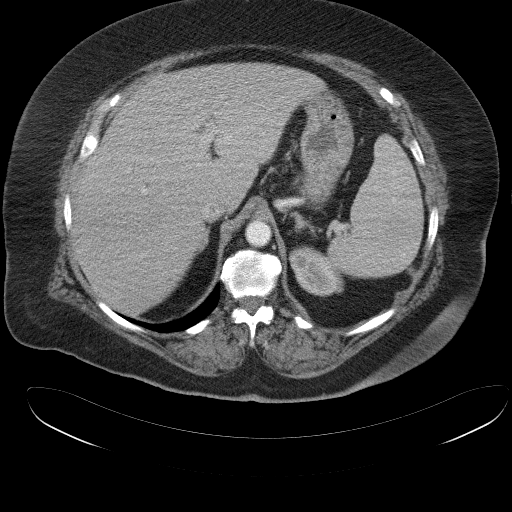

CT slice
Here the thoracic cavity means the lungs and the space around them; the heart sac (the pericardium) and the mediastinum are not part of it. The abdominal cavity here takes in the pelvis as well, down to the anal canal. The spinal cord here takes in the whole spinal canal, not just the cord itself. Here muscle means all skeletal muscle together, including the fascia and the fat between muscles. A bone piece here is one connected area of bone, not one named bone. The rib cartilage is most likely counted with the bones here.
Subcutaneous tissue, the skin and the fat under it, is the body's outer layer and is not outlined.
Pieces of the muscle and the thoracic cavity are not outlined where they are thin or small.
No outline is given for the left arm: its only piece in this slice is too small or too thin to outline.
The torso is outlined by 174 0; 333 0; 351 5; 412 33; 445 58; 471 88; 496 140; 498 197; 477 299; 453 339; 431 359; 389 381; 344 396; 262 403; 164 390; 57 350; 25 346; 12 337; 3 311; 2 201; 20 114; 44 75; 79 41; 122 17. The bones appear in 10 outlined pieces: piece 1: 247 248; 274 254; 281 262; 281 272; 276 286; 267 300; 273 308; 274 316; 269 324; 259 322; 256 325; 253 346; 249 344; 250 330; 248 325; 245 322; 235 323; 232 321; 231 312; 235 303; 220 279; 222 265; 226 258; 240 249; inner edge: 245 296; 259 296; 260 297; 262 297; 264 299; 264 303; 263 304; 260 305; 256 309; 256 310; 253 313; 249 313; 245 309; 244 309; 243 308; 240 307; 238 304; 238 302; 239 301; 239 299; 240 298; 242 298; piece 2: 117 92; 121 94; 121 97; 117 103; 103 117; 102 122; 100 125; 100 130; 98 134; 99 135; 98 136; 97 145; 93 151; 83 161; 79 161; 78 159; 79 158; 79 153; 82 145; 82 142; 89 128; 96 108; 105 99; 111 97; piece 3: 390 307; 394 307; 395 308; 395 312; 387 320; 386 320; 380 325; 365 332; 359 332; 358 333; 356 333; 349 336; 346 336; 344 335; 344 333; 345 332; 359 326; 364 322; 367 321; 370 318; 377 315; 381 312; 383 312; piece 4: 99 299; 104 303; 105 303; 110 308; 111 308; 112 310; 116 312; 119 315; 120 315; 128 321; 138 326; 140 326; 144 328; 145 329; 145 331; 144 332; 134 331; 133 330; 125 328; 115 322; 99 307; 96 302; 96 301; piece 5: 433 206; 436 206; 438 209; 438 226; 437 227; 437 233; 435 236; 435 239; 434 240; 434 242; 431 248; 430 249; 427 249; 426 247; 426 239; 427 238; 427 232; 428 231; 428 220; 429 219; 429 212; 431 208; piece 6: 412 137; 414 137; 416 139; 416 140; 421 149; 421 151; 423 154; 423 157; 424 158; 424 160; 425 161; 425 165; 424 165; 423 166; 422 165; 419 165; 418 164; 417 164; 411 151; 409 149; 409 148; 406 144; 410 140; 410 139; piece 7: 67 193; 68 193; 69 194; 69 195; 70 196; 70 204; 71 205; 71 229; 70 230; 69 230; 68 231; 66 229; 66 228; 65 227; 65 222; 64 221; 64 216; 63 215; 63 205; 64 204; 64 199; 65 198; 65 194; 66 194; piece 8: 382 86; 383 86; 384 87; 387 88; 393 94; 394 97; 396 99; 397 99; 400 102; 400 105; 399 106; 398 106; 397 107; 394 107; 392 105; 391 105; 389 103; 388 103; 379 94; 379 93; 378 92; 378 89; 380 87; 381 87; piece 9: 207 317; 211 320; 211 322; 210 323; 209 323; 204 328; 204 329; 203 329; 201 331; 200 331; 195 334; 190 334; 189 333; 186 333; 185 332; 184 332; 184 330; 185 330; 187 328; 194 325; 196 323; 199 322; 201 320; 202 320; piece 10: 298 314; 299 315; 300 315; 303 318; 304 318; 306 320; 311 322; 313 324; 313 327; 312 327; 311 328; 308 328; 307 329; 306 329; 305 328; 300 328; 299 327; 298 327; 296 325; 296 323; 293 318; 295 315; 297 315. The thoracic cavity is outlined by 220 280; 222 286; 221 287; 219 299; 216 306; 206 317; 183 330; 170 331; 169 332; 155 331; 138 325; 119 314; 127 316; 130 318; 133 318; 138 321; 147 322; 150 324; 161 324; 177 320; 187 315; 199 306; 210 294; 216 284. The muscle is outlined by 229 43; 277 44; 297 48; 307 48; 348 58; 356 62; 359 62; 375 71; 382 78; 393 85; 395 89; 400 92; 409 102; 413 110; 419 115; 433 138; 437 153; 447 174; 447 185; 449 187; 448 193; 449 207; 445 214; 445 223; 440 232; 443 239; 442 244; 444 255; 443 259; 444 269; 443 274; 440 278; 439 282; 440 285; 428 299; 425 300; 409 315; 398 322; 388 332; 371 344; 364 347; 336 368; 319 376; 298 379; 286 377; 278 374; 267 366; 256 355; 248 356; 241 366; 224 376; 210 377; 197 375; 170 363; 143 347; 127 341; 117 334; 109 331; 78 309; 64 302; 56 301; 48 297; 46 294; 45 288; 48 282; 48 277; 52 270; 54 260; 57 255; 59 243; 59 239; 53 226; 54 213; 53 199; 56 195; 55 183; 58 180; 57 169; 60 165; 60 159; 65 152; 70 135; 82 116; 84 109; 110 84; 121 79; 131 71; 154 59; 160 58; 168 54; 176 53; 182 50; 207 47; 214 44; 218 45 with holes at 242 48; 289 54; 357 82; 387 108; 404 145; 414 137; 421 149; 425 165; 416 165; 427 210; 433 206; 438 209; 437 233; 431 248; 424 246; 411 282; 391 304; 395 312; 368 331; 346 336; 344 333; 352 327; 326 327; 313 321; 311 328; 298 327; 295 315; 310 320; 277 281; 267 300; 274 316; 269 324; 256 325; 253 346; 249 344; 248 325; 232 321; 235 303; 223 285; 216 306; 207 316; 211 322; 201 331; 134 331; 99 307; 99 298; 78 265; 71 231; 65 227; 63 205; 67 193; 72 201; 87 164; 88 156; 83 161; 78 159; 96 108; 115 93; 121 94; 103 117; 101 129; 145 77; 166 73; 202 56 and at 382 86; 383 86; 384 87; 387 88; 393 94; 394 97; 396 99; 397 99; 400 102; 400 105; 399 106; 398 106; 397 107; 394 107; 392 105; 391 105; 389 103; 388 103; 379 94; 379 93; 378 92; 378 89; 380 87; 381 87. The spinal cord is outlined by 245 296; 259 296; 260 297; 262 297; 264 299; 264 303; 263 304; 260 305; 256 309; 256 310; 253 313; 249 313; 245 309; 244 309; 243 308; 240 307; 238 304; 238 302; 239 301; 239 299; 240 298; 242 298. The mediastinum is outlined by 255 203; 263 203; 263 209; 264 212; 270 219; 271 226; 277 235; 277 243; 281 253; 282 263; 280 258; 274 253; 271 252; 264 252; 249 247; 246 248; 240 248; 236 250; 233 253; 227 256; 223 261; 224 248; 231 234; 245 212. The abdominal cavity is outlined by 242 48; 289 54; 357 82; 387 108; 416 163; 428 211; 421 259; 391 305; 355 327; 311 321; 280 287; 283 257; 263 202; 252 204; 230 234; 219 281; 177 319; 150 323; 118 313; 96 295; 78 265; 72 195; 109 116; 145 77.